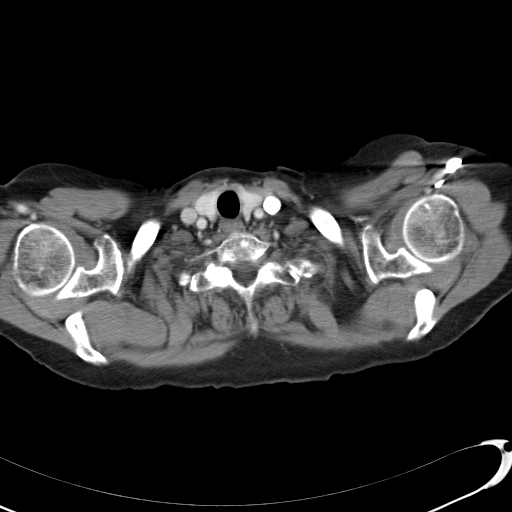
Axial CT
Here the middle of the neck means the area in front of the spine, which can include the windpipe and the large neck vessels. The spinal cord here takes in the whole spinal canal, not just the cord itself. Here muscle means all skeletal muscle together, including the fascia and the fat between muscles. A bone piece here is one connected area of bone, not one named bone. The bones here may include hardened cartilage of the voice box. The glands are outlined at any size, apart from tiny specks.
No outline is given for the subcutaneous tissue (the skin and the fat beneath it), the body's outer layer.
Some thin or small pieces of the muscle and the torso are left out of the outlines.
{"bones":[[[34,222],[60,230],[71,243],[75,265],[86,269],[93,268],[98,260],[95,240],[108,234],[117,243],[124,261],[124,272],[117,294],[105,290],[88,296],[55,300],[53,293],[32,296],[23,291],[18,285],[17,274],[13,269],[13,250],[19,232]],[[432,194],[443,194],[457,205],[464,233],[460,252],[435,265],[430,272],[405,278],[387,277],[377,284],[372,283],[362,254],[361,235],[364,227],[370,225],[371,232],[379,234],[384,248],[389,253],[394,253],[405,245],[402,224],[407,210],[419,198]],{"outer":[[234,231],[269,242],[268,255],[277,249],[282,260],[303,257],[318,265],[310,278],[301,277],[298,284],[272,282],[257,290],[251,307],[255,333],[250,331],[244,300],[230,287],[195,292],[188,285],[178,284],[181,272],[203,270],[215,255],[200,256]],"hole":[[239,262],[250,262],[251,263],[253,263],[254,264],[257,265],[256,274],[255,275],[253,280],[249,284],[248,284],[247,285],[244,285],[236,280],[236,279],[234,277],[234,275],[233,274],[233,270],[230,266],[231,266],[232,265],[234,265]]},[[77,310],[81,310],[82,311],[82,317],[84,320],[84,322],[88,332],[90,343],[96,350],[100,352],[107,359],[107,363],[106,364],[93,364],[89,362],[86,362],[79,357],[74,352],[75,344],[71,335],[65,326],[65,320],[70,314],[73,313]],[[423,287],[428,288],[431,290],[435,297],[435,304],[433,307],[432,315],[437,321],[429,332],[424,336],[418,339],[407,340],[406,339],[406,336],[410,329],[416,322],[416,315],[415,314],[415,309],[414,308],[414,295],[415,292],[418,289]],[[149,218],[155,218],[159,220],[161,223],[160,228],[157,233],[157,235],[153,243],[149,249],[139,259],[138,259],[129,269],[127,268],[126,262],[127,261],[127,259],[130,256],[130,249],[131,248],[131,244],[132,243],[132,241],[140,225],[145,220]],[[312,206],[320,206],[326,209],[334,217],[334,218],[338,223],[340,227],[340,229],[341,230],[341,234],[343,238],[343,243],[341,245],[337,244],[336,243],[334,243],[330,241],[327,238],[326,238],[313,224],[313,223],[308,216],[309,210]]],"muscle":[{"outer":[[407,149],[419,152],[427,163],[465,170],[487,185],[492,198],[505,204],[501,228],[511,254],[495,279],[438,321],[434,293],[418,288],[413,295],[415,322],[403,338],[344,351],[258,338],[205,361],[155,366],[108,361],[91,343],[81,309],[64,320],[73,352],[0,320],[0,206],[6,201],[38,201],[59,186],[116,188],[129,192],[140,207],[161,202],[197,178],[249,183],[265,176],[285,181],[311,200],[375,176]],"holes":[[[238,186],[280,201],[273,217],[279,236],[268,255],[277,249],[282,260],[303,257],[318,265],[298,284],[257,290],[255,333],[244,300],[230,287],[195,292],[178,284],[181,272],[203,270],[215,257],[200,256],[212,248],[182,225],[180,212],[206,192]],[[34,222],[60,230],[71,243],[75,265],[86,269],[93,268],[98,260],[95,240],[108,234],[117,243],[124,261],[124,272],[117,294],[105,290],[88,296],[55,300],[53,293],[32,296],[23,291],[18,285],[17,274],[13,269],[13,250],[19,232]],[[432,194],[443,194],[457,205],[464,233],[460,252],[435,265],[430,272],[405,278],[387,277],[377,284],[372,283],[362,254],[361,235],[364,227],[370,225],[371,232],[379,234],[384,248],[389,253],[394,253],[405,245],[402,224],[407,210],[419,198]],[[149,218],[155,218],[159,220],[161,223],[160,228],[157,233],[157,235],[153,243],[149,249],[139,259],[138,259],[129,269],[127,268],[126,262],[127,261],[127,259],[130,256],[130,249],[131,248],[131,244],[132,243],[132,241],[140,225],[145,220]],[[312,206],[320,206],[326,209],[334,217],[334,218],[338,223],[340,227],[340,229],[341,230],[341,234],[343,238],[343,243],[341,245],[337,244],[336,243],[334,243],[330,241],[327,238],[326,238],[313,224],[313,223],[308,216],[309,210]]]}],"spinal_cord":[[[239,262],[250,262],[251,263],[253,263],[254,264],[257,265],[256,274],[255,275],[253,280],[249,284],[248,284],[247,285],[244,285],[236,280],[236,279],[234,277],[234,275],[233,274],[233,270],[230,266],[231,266],[232,265],[234,265]]],"thyroid_glands":[[[210,191],[222,191],[219,194],[216,200],[216,215],[215,216],[215,218],[213,220],[211,220],[209,219],[206,216],[204,215],[201,215],[199,214],[196,211],[195,209],[195,207],[194,206],[196,200],[202,194],[206,192],[209,192]],[[238,186],[243,188],[245,191],[249,194],[252,193],[253,194],[256,194],[257,193],[261,195],[263,198],[261,202],[256,207],[251,210],[248,216],[249,220],[247,222],[244,220],[244,216],[242,214],[241,203],[238,199],[238,195],[237,194]]],"torso":[[[393,132],[444,141],[401,199],[399,233],[408,254],[449,289],[492,308],[448,347],[328,381],[108,391],[57,375],[0,336],[60,310],[84,263],[79,234],[64,211],[37,190],[7,181],[23,168],[61,162],[152,188],[220,166],[324,171],[368,140]]],"right_arm":[[[7,182],[18,183],[27,188],[37,191],[52,200],[63,211],[72,223],[78,234],[83,249],[83,263],[79,278],[74,287],[74,290],[69,297],[67,302],[60,309],[46,318],[35,323],[22,327],[14,331],[11,331],[8,333],[0,334],[0,184]]],"middle_of_the_neck":[[[232,188],[237,190],[241,214],[246,223],[252,210],[266,196],[273,195],[279,199],[280,208],[273,217],[273,224],[279,233],[277,239],[267,241],[248,231],[234,230],[212,248],[196,236],[191,226],[182,225],[179,214],[189,206],[213,221],[220,194]]],"left_arm":[[[445,141],[470,145],[486,152],[495,154],[511,163],[511,294],[502,299],[493,307],[485,306],[466,298],[449,288],[434,276],[428,273],[412,258],[402,241],[400,233],[400,216],[401,215],[402,199],[412,182],[423,169],[428,161],[434,155],[438,148]]]}